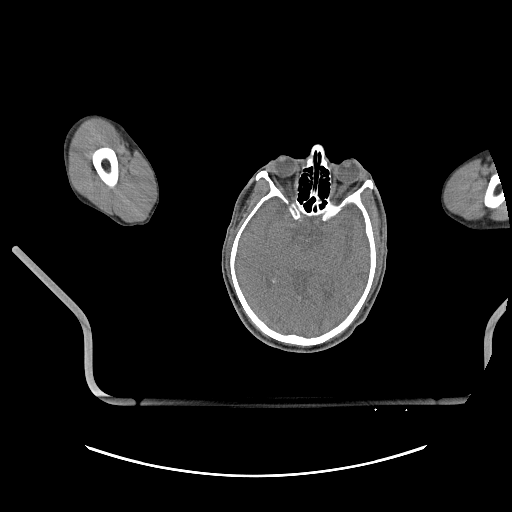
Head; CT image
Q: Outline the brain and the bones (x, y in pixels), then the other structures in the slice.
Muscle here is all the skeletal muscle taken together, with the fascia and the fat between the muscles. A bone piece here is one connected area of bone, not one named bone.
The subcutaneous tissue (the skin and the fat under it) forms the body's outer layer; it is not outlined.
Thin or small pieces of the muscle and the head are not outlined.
A: {"brain":[[[272,198],[281,200],[295,221],[299,221],[303,217],[319,217],[322,222],[326,222],[351,204],[359,210],[363,219],[369,250],[365,285],[347,314],[337,324],[317,335],[283,333],[269,326],[250,305],[239,283],[236,272],[236,257],[240,238],[261,206]]],"bones":[{"outer":[[314,144],[322,146],[329,160],[334,195],[337,200],[356,190],[366,179],[373,181],[374,187],[372,189],[365,187],[360,197],[372,226],[375,243],[375,271],[369,291],[353,321],[343,331],[327,341],[301,346],[281,342],[266,335],[245,313],[233,286],[230,253],[235,236],[243,222],[258,201],[269,191],[267,180],[264,177],[256,180],[256,174],[261,170],[266,170],[274,184],[286,196],[290,196],[294,191],[294,181]],"holes":[[[272,198],[281,200],[295,221],[299,221],[303,217],[319,217],[322,222],[326,222],[351,204],[359,210],[363,219],[369,250],[365,285],[347,314],[337,324],[317,335],[283,333],[269,326],[250,305],[239,283],[236,272],[236,257],[240,238],[261,206]],[[308,168],[312,168],[309,173],[308,172],[306,173],[306,181],[307,182],[310,182],[311,185],[308,190],[307,196],[305,198],[304,197],[300,199],[299,197],[300,194],[300,189],[299,188],[300,187],[300,179],[302,177],[302,175],[306,171],[305,170]],[[321,167],[322,168],[324,168],[328,172],[327,177],[328,178],[328,183],[329,184],[328,193],[323,197],[321,197],[320,196],[318,186],[316,185],[315,183],[316,180],[317,181],[319,181],[322,179],[323,180],[326,177],[325,174],[320,170],[320,168]]]},[[105,146],[110,147],[113,149],[116,154],[116,157],[117,158],[117,161],[118,162],[118,180],[117,181],[117,183],[113,187],[109,187],[103,182],[97,173],[93,165],[93,162],[92,161],[92,154],[93,152],[96,149],[100,147],[104,147]],[[495,171],[497,172],[497,174],[499,176],[499,179],[501,182],[501,187],[503,190],[503,193],[505,198],[505,205],[504,203],[501,203],[495,208],[488,208],[486,207],[484,204],[484,196],[485,195],[485,192],[486,191],[490,177],[495,172]]],"head":[{"outer":[[314,144],[322,146],[325,156],[330,161],[339,162],[352,157],[370,172],[386,214],[387,256],[381,287],[365,320],[336,345],[321,351],[301,353],[270,346],[256,338],[245,327],[232,304],[223,280],[221,253],[236,198],[256,170],[280,154],[306,158]],"holes":[[[315,153],[317,162],[318,156],[320,156],[318,166],[324,168],[328,172],[328,193],[323,197],[323,200],[326,201],[326,203],[322,207],[321,205],[323,201],[319,193],[319,183],[317,182],[315,185],[316,187],[314,187],[314,173],[316,170],[314,163]],[[304,173],[306,173],[306,181],[309,183],[310,182],[311,183],[311,185],[308,190],[308,193],[307,194],[307,196],[305,198],[304,197],[300,199],[299,197],[299,195],[300,194],[300,189],[299,188],[300,187],[300,179],[302,177],[302,175]],[[311,198],[314,198],[314,200],[313,201],[313,202],[311,204],[311,205],[310,206],[310,209],[309,210],[306,210],[306,209],[305,208],[305,207],[304,206],[304,205],[305,205],[308,202],[308,201],[309,200],[310,200],[311,199]]]}],"right_arm":[[[88,114],[100,114],[111,118],[121,124],[141,148],[149,160],[157,177],[157,181],[159,186],[159,201],[153,215],[147,223],[143,225],[134,225],[133,226],[120,225],[105,214],[82,203],[74,195],[69,185],[64,166],[63,143],[69,128],[79,118]]],"left_arm":[[[484,149],[487,149],[489,151],[495,169],[501,182],[501,187],[503,190],[505,198],[506,210],[507,211],[507,216],[509,223],[508,228],[487,229],[486,230],[471,229],[449,217],[444,212],[441,206],[440,202],[441,189],[443,182],[448,174],[461,162]]],"muscle":[{"outer":[[92,118],[102,119],[112,124],[139,152],[146,161],[152,173],[156,187],[156,198],[147,217],[142,221],[126,222],[121,219],[117,215],[108,213],[81,195],[73,186],[69,173],[69,160],[68,159],[68,151],[69,150],[70,141],[77,128],[84,121]],"hole":[[105,146],[110,147],[113,149],[116,154],[116,157],[117,158],[117,161],[118,162],[118,180],[117,181],[117,183],[113,187],[109,187],[103,182],[97,173],[93,165],[93,162],[92,161],[92,154],[93,152],[96,149],[100,147],[104,147]]},[[489,152],[492,158],[495,170],[489,177],[483,196],[483,204],[488,209],[495,209],[501,204],[504,204],[508,217],[508,221],[491,222],[490,223],[477,223],[452,213],[446,207],[444,203],[444,191],[447,182],[451,176],[459,168],[477,157],[479,157]],[[365,188],[373,189],[374,191],[380,215],[383,249],[380,273],[368,303],[353,324],[343,333],[331,341],[316,347],[296,347],[285,344],[309,347],[327,342],[330,339],[343,332],[344,331],[354,321],[363,306],[372,286],[376,271],[376,243],[373,226],[369,213],[361,197],[361,193]],[[254,176],[254,179],[256,181],[261,178],[264,178],[266,180],[268,184],[268,191],[253,206],[242,222],[232,241],[229,253],[229,269],[230,270],[230,275],[233,289],[228,278],[226,270],[226,249],[228,244],[228,240],[234,224],[236,214],[242,199]],[[238,300],[238,301],[239,302],[239,303],[240,304],[240,305],[241,306],[244,313],[249,318],[249,319],[251,321],[251,322],[261,332],[260,332],[249,321],[249,320],[245,316],[242,309],[240,307],[240,305],[238,302]]]}